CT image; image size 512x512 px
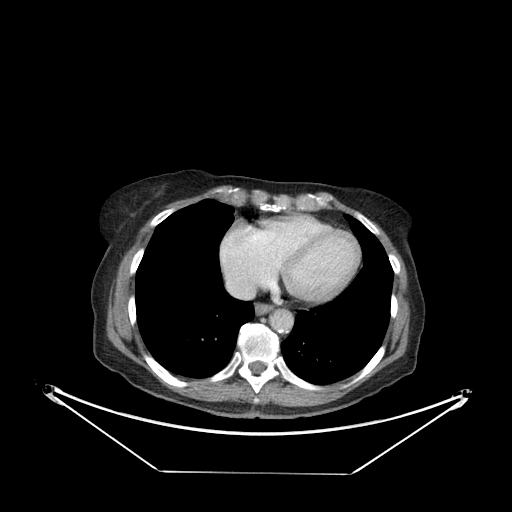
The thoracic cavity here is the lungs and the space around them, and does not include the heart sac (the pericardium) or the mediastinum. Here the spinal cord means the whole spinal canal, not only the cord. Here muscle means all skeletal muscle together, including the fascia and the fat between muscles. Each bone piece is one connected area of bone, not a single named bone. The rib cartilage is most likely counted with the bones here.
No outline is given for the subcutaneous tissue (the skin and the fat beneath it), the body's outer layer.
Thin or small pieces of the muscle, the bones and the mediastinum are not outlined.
{"thoracic_cavity":[[[205,198],[216,199],[233,207],[233,221],[223,234],[218,246],[221,278],[223,287],[230,296],[252,303],[254,315],[250,321],[239,327],[235,349],[227,364],[212,375],[192,378],[171,373],[153,357],[146,347],[137,323],[135,278],[154,228],[177,210]],[[345,213],[350,214],[375,235],[387,255],[393,272],[389,320],[382,343],[357,372],[341,380],[322,385],[300,377],[287,365],[281,354],[281,342],[291,332],[298,310],[309,310],[333,299],[354,279],[363,266],[360,243],[350,228],[350,222],[344,217]]],"mediastinum":[[[251,301],[260,302],[270,306],[278,306],[286,309],[297,309],[298,308],[308,309],[310,308],[309,309],[298,309],[297,310],[293,326],[290,332],[287,337],[280,341],[279,336],[267,325],[261,322],[253,322],[251,321],[254,318],[255,315],[254,305]],[[322,209],[335,209],[336,210],[339,210],[340,211],[345,212],[343,215],[343,217],[348,222],[349,222],[349,227],[348,227],[347,225],[339,221],[337,221],[335,219],[333,219],[330,217],[324,216],[323,215],[319,215],[318,214],[310,212],[318,211]],[[230,204],[232,204],[233,205],[236,205],[237,206],[241,206],[242,205],[245,205],[246,204],[251,204],[252,205],[256,206],[260,210],[253,210],[252,211],[245,212],[240,215],[238,215],[234,220],[234,215],[233,214],[234,212],[234,207],[231,204]],[[222,276],[223,278],[223,280],[224,281],[224,284],[225,285],[225,287],[231,294],[239,298],[242,298],[243,299],[248,299],[250,300],[243,300],[242,299],[239,299],[238,298],[236,298],[230,295],[224,287],[224,284],[223,283],[223,279],[222,278]]],"pericardium":[[[290,210],[309,212],[327,217],[347,226],[357,239],[361,249],[362,261],[361,267],[357,273],[333,298],[308,308],[286,308],[278,305],[270,305],[239,297],[231,293],[226,287],[219,259],[219,246],[224,234],[236,218],[245,213],[253,211],[286,212]]],"bones":[{"outer":[[247,322],[261,323],[267,326],[278,336],[280,354],[286,365],[300,378],[321,385],[324,388],[321,390],[305,389],[277,375],[264,383],[256,394],[249,382],[236,371],[230,377],[214,382],[207,381],[206,378],[220,371],[231,360],[236,349],[239,329]],"hole":[[255,361],[260,361],[261,362],[262,362],[263,363],[264,363],[265,364],[265,368],[259,374],[254,374],[251,371],[251,370],[249,368],[249,365],[252,362],[254,362]]},[[253,190],[265,191],[269,194],[284,194],[292,198],[294,198],[297,195],[307,193],[312,193],[315,195],[328,194],[332,198],[329,202],[330,206],[329,208],[322,208],[318,210],[312,211],[298,210],[297,209],[261,210],[256,205],[253,204],[249,197]],[[142,353],[148,353],[150,354],[158,363],[159,363],[171,374],[183,381],[186,381],[188,383],[188,385],[184,386],[183,387],[178,387],[177,386],[174,386],[171,384],[169,384],[165,381],[164,381],[161,378],[160,378],[151,369],[149,365],[144,359]],[[382,344],[384,344],[386,346],[385,347],[385,352],[378,363],[362,378],[356,381],[354,383],[349,385],[347,387],[342,388],[341,386],[343,384],[345,384],[350,381],[353,378],[353,377],[356,375],[356,374],[370,360],[370,359],[374,355],[374,354]],[[234,187],[240,187],[246,192],[246,194],[247,195],[247,198],[245,202],[244,202],[241,205],[237,205],[236,204],[233,204],[232,203],[230,203],[228,198],[226,197],[222,193],[219,193],[218,192],[214,192],[214,190],[217,188],[233,188]],[[357,211],[358,212],[360,212],[362,214],[363,214],[367,218],[368,218],[377,227],[377,228],[380,232],[380,233],[377,236],[375,234],[374,234],[372,232],[371,232],[359,220],[358,220],[355,217],[354,217],[353,216],[353,214]],[[169,208],[174,208],[176,210],[175,211],[174,211],[171,214],[170,214],[166,218],[165,218],[154,227],[151,227],[149,225],[149,223],[150,222],[150,221],[152,219],[152,218],[156,214],[157,214],[159,212],[160,212],[165,209],[168,209]],[[141,247],[143,247],[144,248],[144,252],[143,253],[143,255],[138,265],[138,267],[135,272],[135,274],[133,275],[131,275],[130,274],[130,265],[131,264],[131,262],[132,261],[133,256],[134,254],[138,250],[138,249],[139,249]],[[132,294],[134,294],[134,298],[135,299],[135,313],[136,314],[136,323],[134,325],[132,325],[131,324],[131,323],[130,322],[130,319],[129,318],[129,314],[128,313],[128,300],[129,299],[129,297]],[[388,253],[392,253],[393,254],[394,254],[396,256],[396,257],[398,259],[398,261],[399,262],[399,273],[398,274],[394,274],[394,272],[393,271],[393,269],[392,268],[392,267],[391,266],[391,264],[389,261],[389,258],[388,257],[388,255],[387,254]],[[392,292],[393,292],[394,293],[394,294],[395,295],[395,296],[396,297],[396,298],[397,299],[397,303],[398,304],[398,306],[397,307],[397,312],[396,313],[396,315],[393,318],[391,318],[390,317],[390,306],[391,305],[391,294],[392,293]]],"spinal_cord":[[[255,361],[260,361],[261,362],[262,362],[263,363],[264,363],[265,364],[265,368],[259,374],[254,374],[251,371],[251,370],[249,368],[249,365],[252,362],[254,362]]],"torso":[[[187,168],[275,181],[361,186],[384,194],[406,209],[416,224],[409,242],[425,301],[425,322],[414,371],[338,410],[307,417],[262,419],[219,416],[166,401],[102,365],[92,351],[90,303],[92,279],[107,246],[98,229],[100,208],[112,192],[128,183]]],"muscle":[[[150,218],[148,225],[153,231],[149,240],[145,248],[137,249],[129,265],[129,274],[135,277],[134,293],[127,300],[127,313],[130,324],[137,324],[149,352],[141,353],[143,359],[167,384],[178,388],[188,386],[186,380],[178,377],[205,378],[207,382],[214,383],[230,378],[236,372],[256,395],[264,384],[277,376],[309,391],[321,391],[324,385],[354,374],[340,386],[342,389],[362,379],[384,356],[387,346],[383,340],[390,318],[397,315],[399,306],[392,290],[394,275],[400,273],[400,262],[394,253],[386,252],[378,238],[381,232],[372,221],[385,232],[406,269],[410,320],[404,354],[343,396],[311,406],[204,401],[169,389],[116,348],[106,334],[108,298],[118,267]],[[222,185],[231,185],[234,186],[233,187],[217,187],[213,190],[213,192],[222,194],[227,198],[229,203],[221,201],[216,198],[205,197],[178,209],[176,209],[174,207],[169,207],[159,211],[169,203],[180,199],[184,199],[201,194],[208,189]],[[331,195],[335,197],[340,202],[343,203],[345,205],[353,209],[355,209],[357,210],[355,211],[352,214],[352,215],[350,213],[348,213],[345,211],[343,211],[339,209],[336,209],[335,208],[330,208],[331,207],[330,205],[330,202],[333,198],[333,197]],[[241,187],[243,187],[244,188],[248,188],[249,189],[259,189],[253,189],[250,192],[248,196],[252,204],[251,203],[246,203],[245,204],[243,204],[246,202],[248,198],[248,195],[247,194],[247,192]]]}